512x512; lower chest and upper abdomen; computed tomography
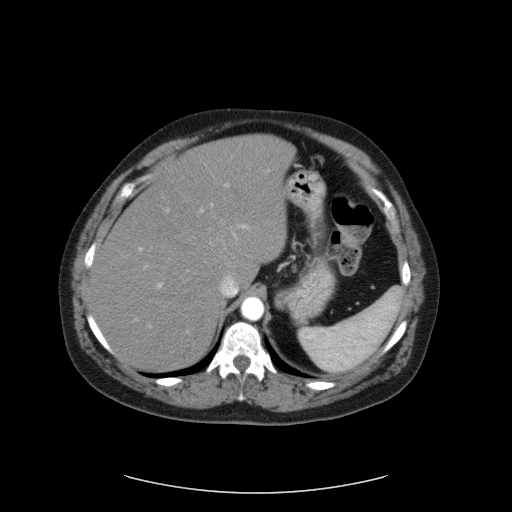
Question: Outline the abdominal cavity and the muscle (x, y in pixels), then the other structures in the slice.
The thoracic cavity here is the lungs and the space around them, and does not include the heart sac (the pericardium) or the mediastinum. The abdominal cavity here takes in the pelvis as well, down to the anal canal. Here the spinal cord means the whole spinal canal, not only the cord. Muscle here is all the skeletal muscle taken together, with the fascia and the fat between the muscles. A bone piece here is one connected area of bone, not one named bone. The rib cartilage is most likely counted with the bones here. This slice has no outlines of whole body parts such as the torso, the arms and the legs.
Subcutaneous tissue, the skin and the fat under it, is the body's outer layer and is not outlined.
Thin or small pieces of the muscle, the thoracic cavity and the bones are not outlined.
Answer: The abdominal cavity is outlined by (252, 122) (317, 140) (363, 179) (397, 250) (404, 292) (399, 323) (368, 361) (321, 379) (286, 363) (267, 339) (263, 344) (265, 304) (246, 297) (229, 314) (220, 342) (197, 363) (138, 371) (115, 353) (90, 311) (88, 276) (96, 248) (124, 202) (171, 157) (209, 134). The muscle appears in 2 outlined pieces: piece 1: (245, 118) (270, 118) (287, 121) (310, 127) (322, 133) (328, 134) (348, 142) (364, 151) (370, 157) (371, 160) (379, 167) (381, 172) (387, 177) (388, 181) (400, 195) (409, 213) (412, 226) (417, 234) (418, 241) (420, 244) (420, 252) (424, 262) (425, 273) (422, 280) (424, 290) (424, 299) (420, 305) (419, 313) (417, 316) (418, 319) (415, 328) (412, 351) (406, 365) (397, 374) (393, 375) (388, 379) (383, 381) (374, 383) (348, 397) (345, 397) (320, 406) (315, 406) (300, 410) (287, 412) (276, 412) (257, 405) (249, 404) (244, 401) (246, 399) (246, 397) (242, 391) (240, 391) (238, 393) (236, 397) (237, 401) (230, 403) (222, 403) (220, 405) (213, 406) (209, 408) (195, 409) (194, 408) (181, 407) (166, 403) (156, 398) (147, 396) (143, 392) (140, 392) (123, 384) (107, 374) (81, 348) (74, 327) (74, 316) (72, 303) (73, 291) (71, 287) (72, 266) (74, 258) (76, 255) (76, 248) (80, 234) (84, 228) (87, 220) (107, 187) (121, 173) (134, 165) (144, 155) (158, 145) (178, 137) (191, 135) (196, 131) (201, 130) (209, 126) (218, 126) (227, 121) (234, 121), around a hole outlined by (252, 122) (283, 126) (331, 148) (392, 203) (400, 229) (391, 233) (398, 267) (406, 260) (410, 270) (399, 317) (407, 321) (405, 331) (386, 352) (327, 379) (336, 384) (326, 389) (307, 387) (315, 378) (266, 368) (261, 381) (253, 374) (242, 382) (233, 373) (222, 378) (215, 367) (181, 375) (173, 385) (157, 384) (111, 354) (92, 332) (85, 254) (93, 242) (98, 246) (120, 211) (123, 204) (113, 200) (124, 183) (150, 174) (134, 194) (180, 150); piece 2: (371, 194) (373, 194) (381, 202) (381, 203) (382, 204) (382, 208) (382, 207) (376, 201) (376, 200) (374, 198) (374, 197). The bones appear in 9 outlined pieces: piece 1: (237, 321) (251, 324) (258, 330) (262, 344) (269, 354) (273, 365) (277, 369) (276, 373) (266, 368) (261, 381) (259, 381) (255, 375) (249, 374) (241, 382) (233, 373) (229, 373) (222, 378) (217, 367) (209, 372) (205, 371) (205, 368) (212, 360) (220, 345) (226, 328) with a hole at (239, 355) (242, 355) (243, 356) (245, 356) (246, 357) (247, 357) (249, 359) (249, 364) (248, 365) (248, 366) (245, 369) (244, 369) (242, 371) (241, 370) (240, 370) (238, 368) (237, 368) (235, 366) (235, 365) (233, 362) (233, 360) (234, 359) (234, 358); piece 2: (364, 179) (369, 182) (377, 189) (383, 192) (387, 198) (392, 203) (395, 209) (396, 216) (399, 222) (399, 228) (400, 230) (398, 233) (393, 233) (391, 231) (390, 229) (390, 222) (382, 209) (383, 208) (383, 204) (382, 202) (373, 193) (371, 193) (366, 189) (362, 183); piece 3: (146, 174) (150, 174) (149, 178) (145, 181) (141, 182) (137, 186) (137, 187) (135, 188) (135, 191) (134, 191) (131, 195) (127, 197) (122, 203) (120, 204) (113, 204) (114, 197) (119, 191) (121, 186) (124, 183) (126, 182) (130, 182) (131, 181) (135, 181) (139, 177); piece 4: (403, 320) (406, 320) (407, 321) (407, 325) (406, 326) (406, 328) (405, 329) (405, 331) (403, 335) (395, 344) (394, 344) (386, 352) (382, 354) (381, 353) (381, 351) (383, 347) (385, 345) (385, 344) (393, 333) (396, 327) (400, 323) (400, 322); piece 5: (90, 313) (93, 317) (97, 326) (99, 328) (105, 340) (107, 342) (107, 343) (115, 354) (111, 354) (106, 349) (105, 349) (103, 347) (103, 346) (98, 341) (98, 340) (92, 332) (88, 324) (88, 321) (86, 317) (87, 315); piece 6: (312, 380) (326, 380) (327, 381) (333, 381) (335, 382) (336, 384) (334, 386) (332, 387) (330, 387) (329, 388) (327, 388) (326, 389) (322, 389) (321, 390) (315, 390) (314, 389) (311, 389) (307, 387) (305, 384) (307, 382) (309, 381) (311, 381); piece 7: (405, 260) (407, 261) (408, 263) (408, 265) (409, 266) (409, 269) (410, 270) (410, 281) (408, 285) (406, 286) (405, 286) (402, 283) (402, 280) (401, 279) (401, 275) (400, 274) (400, 269) (402, 266) (402, 264) (403, 262); piece 8: (162, 377) (180, 377) (182, 379) (182, 381) (181, 382) (180, 382) (179, 383) (177, 383) (176, 384) (174, 384) (173, 385) (169, 385) (168, 386) (166, 386) (165, 385) (161, 385) (160, 384) (157, 384) (155, 382) (155, 381) (154, 380) (155, 379) (155, 378) (161, 378); piece 9: (93, 242) (95, 242) (96, 243) (96, 247) (95, 248) (95, 251) (94, 252) (94, 255) (93, 256) (93, 260) (92, 261) (91, 266) (89, 268) (87, 268) (85, 266) (85, 265) (84, 264) (84, 258) (85, 257) (85, 254) (86, 253) (87, 250) (89, 248) (89, 247). The mediastinum is outlined by (246, 298) (258, 298) (260, 299) (264, 304) (264, 312) (261, 319) (261, 334) (259, 330) (253, 324) (247, 323) (243, 320) (237, 320) (231, 323) (226, 327) (226, 323) (228, 321) (228, 318) (230, 316) (230, 314) (231, 314) (232, 312) (233, 312) (234, 310) (246, 299). The spinal cord is outlined by (239, 355) (242, 355) (243, 356) (245, 356) (246, 357) (247, 357) (249, 359) (249, 364) (248, 365) (248, 366) (245, 369) (244, 369) (242, 371) (241, 370) (240, 370) (238, 368) (237, 368) (235, 366) (235, 365) (233, 362) (233, 360) (234, 359) (234, 358). The thoracic cavity appears in 2 outlined pieces: piece 1: (218, 343) (219, 345) (209, 363) (204, 368) (196, 372) (186, 374) (185, 375) (181, 375) (180, 376) (162, 376) (161, 377) (150, 377) (140, 373) (140, 372) (145, 372) (146, 373) (165, 373) (166, 372) (173, 372) (185, 368) (189, 368) (197, 364) (198, 362) (205, 358); piece 2: (265, 339) (267, 340) (275, 353) (282, 361) (292, 368) (294, 368) (296, 370) (304, 374) (306, 374) (312, 378) (315, 378) (306, 378) (305, 377) (302, 377) (298, 375) (291, 374) (290, 373) (288, 373) (278, 369) (274, 365) (271, 359) (270, 354) (264, 346) (264, 341).